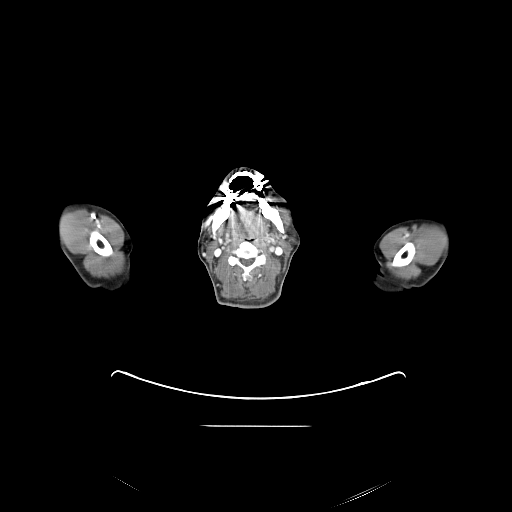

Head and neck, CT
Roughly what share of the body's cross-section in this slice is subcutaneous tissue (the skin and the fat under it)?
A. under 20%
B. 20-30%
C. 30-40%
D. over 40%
B. 20-30%
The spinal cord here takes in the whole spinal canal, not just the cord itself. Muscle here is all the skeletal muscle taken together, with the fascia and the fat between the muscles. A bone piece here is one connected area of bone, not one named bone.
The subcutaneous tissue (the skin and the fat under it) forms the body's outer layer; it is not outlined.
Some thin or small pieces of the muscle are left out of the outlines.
muscle 1: [[240,176],[251,179],[260,211],[282,235],[285,229],[279,209],[266,199],[259,178],[263,180],[287,211],[294,238],[275,291],[263,300],[222,297],[219,281],[202,250],[213,203],[229,177],[223,198],[211,214],[211,237],[215,239],[231,213],[231,184]]; inner edge: [[244,240],[253,242],[258,248],[261,248],[265,254],[265,263],[259,266],[256,266],[253,268],[250,271],[251,277],[246,280],[243,280],[242,277],[243,270],[238,265],[236,264],[231,265],[228,263],[228,257],[230,253],[234,248],[236,248],[238,245]]
muscle 2: [[73,208],[86,208],[89,210],[95,210],[97,212],[109,216],[120,226],[124,233],[124,248],[125,249],[125,269],[122,273],[108,278],[94,277],[85,270],[76,257],[67,248],[62,241],[62,238],[61,237],[61,218],[66,211]], around a hole outlined by [[95,229],[97,231],[98,231],[108,241],[108,242],[110,244],[112,248],[112,250],[113,251],[113,253],[111,255],[109,256],[102,256],[98,253],[97,253],[90,245],[89,243],[89,236],[90,235],[90,233],[91,231]]
muscle 3: [[424,222],[429,222],[431,224],[435,224],[444,230],[447,237],[446,248],[438,260],[433,265],[431,265],[425,269],[417,278],[403,280],[393,277],[387,271],[384,265],[383,256],[379,247],[381,240],[386,234],[398,227],[409,225],[413,223],[423,223]], around a hole outlined by [[407,241],[412,242],[415,247],[415,253],[414,254],[411,261],[408,264],[407,264],[406,265],[404,265],[403,266],[399,266],[398,267],[397,267],[396,266],[392,266],[391,265],[391,262],[394,257],[394,255],[405,243],[405,242],[406,242]]
bones 1: [[245,170],[258,177],[265,199],[277,207],[284,233],[282,234],[261,211],[260,203],[253,194],[252,179],[248,176],[240,175],[235,177],[230,184],[233,189],[230,213],[217,228],[216,237],[213,238],[211,229],[212,214],[224,198],[226,184],[235,172]]
bones 2: [[244,240],[253,242],[258,248],[261,248],[265,254],[265,263],[259,266],[256,266],[253,268],[250,271],[251,277],[246,280],[243,280],[242,277],[243,270],[238,265],[236,264],[231,265],[228,263],[228,257],[230,253],[234,248],[236,248],[238,245]], around a hole outlined by [[242,258],[243,258],[244,259],[248,259],[249,258],[252,258],[253,259],[253,261],[250,264],[249,264],[248,265],[245,265],[243,263],[242,263],[242,262],[241,261],[241,259]]
bones 3: [[95,229],[97,231],[98,231],[108,241],[108,242],[110,244],[112,248],[112,250],[113,251],[113,253],[111,255],[109,256],[102,256],[98,253],[97,253],[90,245],[89,243],[89,236],[90,235],[90,233],[91,231]]
bones 4: [[407,241],[412,242],[415,247],[415,253],[414,254],[411,261],[408,264],[407,264],[406,265],[404,265],[403,266],[399,266],[398,267],[397,267],[396,266],[392,266],[391,265],[391,262],[394,257],[394,255],[405,243],[405,242],[406,242]]
spinal cord: [[242,258],[243,258],[244,259],[248,259],[249,258],[252,258],[253,259],[253,261],[250,264],[249,264],[248,265],[245,265],[243,263],[242,263],[242,262],[241,261],[241,259]]
left arm: [[423,216],[433,217],[443,221],[450,230],[451,247],[444,263],[438,272],[422,287],[416,287],[410,290],[406,290],[401,294],[387,293],[378,290],[372,284],[372,279],[378,271],[378,263],[373,253],[373,245],[375,241],[382,232],[389,226],[406,219]]
head and neck: [[241,166],[250,167],[262,174],[287,201],[291,210],[293,223],[300,237],[299,246],[291,259],[289,269],[278,299],[271,305],[263,308],[239,308],[217,303],[211,280],[204,264],[199,259],[197,254],[197,240],[201,228],[203,213],[224,177],[232,169]]
right arm: [[71,202],[88,202],[102,206],[115,214],[123,223],[131,237],[133,244],[130,254],[132,271],[132,279],[131,280],[132,281],[130,285],[116,290],[109,291],[100,287],[96,288],[89,287],[80,278],[63,253],[57,240],[57,215],[59,211],[65,205]]